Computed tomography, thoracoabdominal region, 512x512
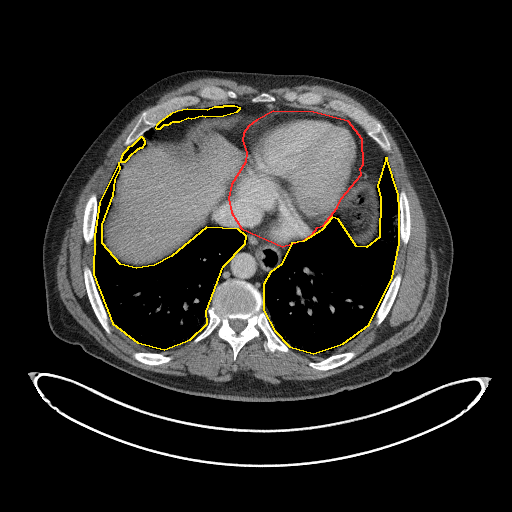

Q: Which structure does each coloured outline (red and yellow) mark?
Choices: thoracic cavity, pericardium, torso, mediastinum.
A: red: pericardium; yellow: thoracic cavity.
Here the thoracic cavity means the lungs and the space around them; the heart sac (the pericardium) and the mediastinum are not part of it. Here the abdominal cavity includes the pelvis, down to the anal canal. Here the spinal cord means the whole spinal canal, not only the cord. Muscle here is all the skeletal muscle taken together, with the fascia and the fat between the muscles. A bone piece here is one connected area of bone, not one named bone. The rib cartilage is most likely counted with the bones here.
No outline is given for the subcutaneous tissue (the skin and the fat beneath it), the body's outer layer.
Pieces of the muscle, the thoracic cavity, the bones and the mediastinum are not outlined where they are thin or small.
The pericardium is outlined by (282, 246) (305, 239) (312, 234) (317, 227) (323, 225) (337, 207) (341, 198) (361, 174) (360, 168) (363, 164) (362, 139) (348, 121) (313, 112) (273, 111) (256, 120) (248, 126) (243, 133) (242, 140) (246, 152) (245, 162) (231, 184) (228, 198) (231, 212) (241, 228). The thoracic cavity appears in 4 outlined pieces: piece 1: (313, 353) (343, 343) (369, 324) (392, 277) (399, 243) (399, 209) (398, 194) (386, 157) (377, 185) (380, 198) (379, 237) (366, 247) (356, 246) (338, 219) (332, 217) (321, 230) (303, 241) (291, 243) (281, 264) (270, 272) (263, 284) (263, 310) (274, 330) (289, 346); piece 2: (164, 349) (190, 339) (207, 323) (206, 311) (223, 266) (245, 243) (246, 236) (238, 229) (206, 227) (171, 256) (154, 265) (136, 268) (120, 264) (102, 243) (102, 224) (113, 195) (115, 179) (120, 169) (119, 162) (99, 202) (94, 236) (93, 274) (112, 323) (137, 342); piece 3: (156, 128) (160, 128) (164, 124) (168, 124) (173, 121) (179, 121) (188, 117) (191, 118) (202, 115) (205, 116) (223, 115) (237, 111) (240, 108) (234, 106) (223, 106) (222, 107) (214, 107) (207, 110) (187, 109) (177, 111) (170, 114) (159, 122) (156, 125) (155, 127); piece 4: (120, 161) (125, 161) (129, 157) (129, 156) (138, 148) (139, 148) (140, 147) (142, 147) (145, 143) (145, 141) (144, 140) (144, 139) (142, 137) (140, 137) (131, 146) (128, 147) (127, 148) (127, 149) (122, 154) (122, 155) (121, 156) (121, 158) (120, 159). The bones appear in 10 outlined pieces: piece 1: (234, 361) (242, 346) (249, 340) (259, 337) (261, 333) (266, 338) (262, 343) (265, 351) (288, 352) (290, 349) (273, 330) (262, 310) (262, 294) (246, 281) (228, 279) (216, 286) (211, 306) (207, 311) (208, 323) (193, 342) (202, 340) (216, 329) (217, 335) (232, 347) with a hole at (237, 333) (238, 333) (239, 332) (240, 332) (245, 327) (245, 326) (246, 325) (246, 321) (245, 321) (244, 320) (241, 320) (240, 319) (233, 319) (232, 320) (230, 320) (230, 326); piece 2: (126, 146) (131, 145) (147, 130) (155, 126) (159, 121) (170, 113) (186, 106) (194, 105) (198, 103) (201, 98) (236, 98) (237, 95) (231, 90) (226, 90) (213, 85) (206, 85) (201, 87) (196, 94) (187, 94) (173, 97) (159, 104) (156, 104) (142, 112) (124, 141); piece 3: (384, 151) (389, 151) (391, 147) (381, 124) (367, 113) (352, 104) (338, 99) (332, 99) (325, 103) (323, 96) (320, 93) (312, 91) (300, 93) (295, 91) (289, 91) (283, 95) (283, 97) (286, 100) (296, 102) (301, 105) (323, 104) (333, 110) (342, 112) (359, 124); piece 4: (109, 334) (111, 331) (111, 327) (109, 324) (108, 315) (104, 308) (104, 306) (98, 293) (95, 281) (92, 274) (92, 271) (87, 265) (85, 265) (83, 268) (83, 274) (84, 275) (84, 280) (85, 281) (85, 285) (89, 301) (99, 322) (106, 332); piece 5: (87, 244) (91, 242) (91, 241) (93, 239) (93, 236) (94, 235) (94, 227) (95, 226) (95, 217) (97, 213) (97, 208) (98, 207) (97, 196) (95, 193) (92, 193) (89, 196) (86, 202) (85, 208) (84, 209) (84, 215) (83, 216) (83, 237) (84, 238) (85, 242); piece 6: (376, 325) (379, 325) (381, 323) (381, 322) (388, 313) (393, 303) (393, 301) (397, 293) (397, 290) (399, 287) (399, 284) (401, 280) (401, 274) (400, 273) (397, 273) (392, 278) (391, 282) (389, 285) (389, 287) (383, 298) (383, 300) (376, 312) (375, 317) (372, 321); piece 7: (404, 245) (407, 243) (407, 241) (409, 237) (409, 232) (410, 231) (410, 213) (409, 212) (408, 199) (405, 191) (402, 189) (399, 193) (399, 197) (398, 198) (398, 200) (399, 201) (399, 208) (400, 209) (400, 222) (399, 223) (399, 229) (400, 230) (400, 242); piece 8: (318, 370) (326, 370) (327, 369) (330, 369) (331, 368) (339, 366) (350, 360) (353, 357) (354, 357) (357, 354) (357, 353) (354, 351) (346, 351) (339, 354) (332, 355) (329, 357) (327, 357) (323, 359) (320, 359) (318, 361) (309, 361) (308, 362) (308, 364) (311, 367); piece 9: (151, 365) (157, 365) (158, 364) (161, 364) (162, 363) (168, 362) (172, 358) (172, 357) (171, 356) (165, 355) (163, 353) (151, 353) (150, 352) (142, 352) (141, 351) (135, 351) (133, 352) (132, 354) (133, 357) (135, 359) (143, 363) (146, 363) (147, 364) (150, 364); piece 10: (257, 102) (274, 102) (276, 99) (274, 96) (273, 96) (272, 95) (271, 95) (270, 94) (269, 94) (268, 93) (267, 93) (266, 92) (265, 92) (264, 91) (263, 91) (262, 92) (261, 92) (257, 96) (255, 96) (252, 98) (252, 99) (251, 100) (252, 101) (256, 101). The mediastinum appears in 4 outlined pieces: piece 1: (262, 293) (262, 284) (266, 276) (280, 264) (282, 258) (287, 253) (288, 245) (285, 247) (279, 246) (249, 231) (241, 229) (230, 212) (226, 201) (214, 212) (212, 220) (216, 225) (241, 229) (246, 234) (247, 241) (225, 264) (217, 284) (228, 278) (243, 279) (252, 283); piece 2: (243, 151) (244, 148) (241, 136) (244, 130) (256, 119) (273, 110) (313, 111) (317, 113) (325, 113) (288, 106) (282, 103) (257, 103) (241, 99) (209, 100) (194, 106) (186, 107) (183, 109) (207, 109) (223, 105) (241, 107) (245, 114) (244, 117) (229, 132) (228, 140); piece 3: (376, 181) (378, 181) (381, 171) (383, 168) (382, 159) (385, 156) (383, 151) (365, 133) (364, 130) (359, 125) (348, 117) (344, 115) (326, 114) (330, 116) (348, 120) (358, 131) (363, 139) (363, 146) (364, 147) (364, 164) (361, 168) (362, 173) (369, 173) (371, 174); piece 4: (169, 142) (177, 142) (181, 138) (186, 129) (193, 122) (197, 120) (197, 118) (191, 119) (188, 118) (179, 122) (173, 122) (171, 124) (162, 126) (160, 129) (156, 129) (153, 127) (153, 130) (155, 132) (153, 135) (150, 137) (142, 136) (145, 140) (157, 140). The abdominal cavity appears in 2 outlined pieces: piece 1: (136, 267) (164, 259) (203, 227) (217, 226) (211, 216) (227, 200) (230, 184) (244, 162) (245, 153) (227, 140) (228, 132) (243, 117) (241, 108) (223, 116) (199, 117) (177, 143) (146, 141) (125, 162) (120, 162) (121, 169) (114, 195) (103, 224) (103, 243) (120, 263); piece 2: (362, 247) (368, 245) (378, 237) (377, 223) (379, 216) (379, 198) (376, 190) (377, 182) (369, 174) (362, 174) (354, 182) (354, 185) (348, 190) (348, 193) (342, 198) (342, 200) (338, 207) (326, 221) (332, 216) (336, 216) (339, 219) (340, 225) (351, 241) (356, 245). The torso is outlined by (253, 402) (331, 395) (372, 383) (419, 361) (435, 342) (446, 310) (453, 263) (452, 236) (409, 138) (389, 109) (370, 93) (307, 74) (182, 71) (156, 81) (132, 98) (94, 139) (64, 182) (50, 212) (42, 246) (47, 319) (51, 331) (61, 340) (136, 377) (192, 395). The spinal cord is outlined by (237, 333) (238, 333) (239, 332) (240, 332) (245, 327) (245, 326) (246, 325) (246, 321) (245, 321) (244, 320) (241, 320) (240, 319) (233, 319) (232, 320) (230, 320) (230, 326). The muscle appears in 2 outlined pieces: piece 1: (271, 383) (301, 383) (341, 372) (416, 334) (434, 306) (435, 252) (400, 150) (384, 125) (358, 101) (327, 86) (271, 88) (265, 91) (274, 95) (277, 102) (343, 114) (323, 105) (301, 106) (286, 101) (282, 95) (289, 90) (317, 91) (325, 102) (338, 98) (352, 103) (382, 124) (392, 147) (384, 153) (398, 193) (402, 188) (407, 193) (411, 213) (408, 243) (400, 243) (397, 250) (393, 276) (400, 272) (402, 280) (389, 313) (379, 326) (372, 322) (343, 344) (314, 354) (290, 347) (288, 353) (265, 352) (261, 334) (243, 346) (234, 362) (231, 347) (216, 335) (216, 330) (196, 344) (192, 342) (194, 337) (164, 350) (137, 343) (110, 321) (112, 331) (107, 334) (93, 313) (83, 280) (83, 266) (93, 269) (94, 246) (93, 240) (87, 245) (82, 237) (85, 202) (92, 192) (98, 201) (103, 195) (127, 147) (123, 141) (144, 109) (173, 96) (196, 93) (206, 84) (231, 89) (237, 98) (247, 100) (261, 91) (231, 79) (198, 78) (163, 93) (139, 110) (110, 145) (72, 213) (58, 255) (57, 287) (72, 316) (101, 345) (132, 365) (211, 382) (227, 381) (234, 373) (245, 371), around holes outlined by (318, 370) (326, 370) (327, 369) (330, 369) (331, 368) (339, 366) (350, 360) (353, 357) (354, 357) (357, 354) (357, 353) (354, 351) (346, 351) (339, 354) (332, 355) (329, 357) (327, 357) (323, 359) (320, 359) (318, 361) (309, 361) (308, 362) (308, 364) (311, 367) and by (151, 365) (157, 365) (158, 364) (161, 364) (162, 363) (168, 362) (172, 358) (172, 357) (171, 356) (165, 355) (163, 353) (151, 353) (150, 352) (142, 352) (141, 351) (135, 351) (133, 352) (132, 354) (133, 357) (135, 359) (143, 363) (146, 363) (147, 364) (150, 364); piece 2: (195, 336) (196, 336) (203, 329) (203, 328) (206, 325) (206, 323) (203, 326) (203, 327) (198, 332) (198, 333).